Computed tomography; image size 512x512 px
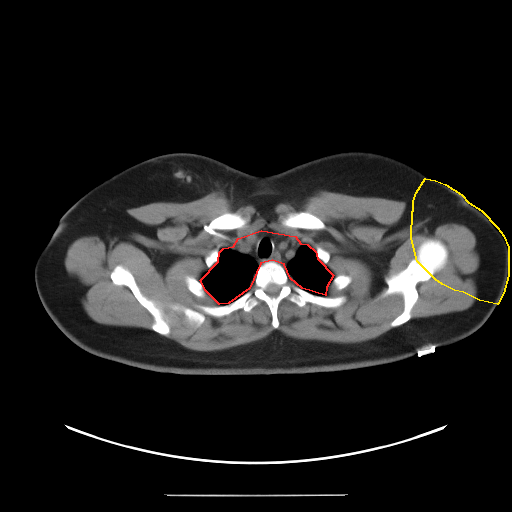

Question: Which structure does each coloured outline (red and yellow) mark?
Answer: red: thoracic cavity; yellow: left arm.
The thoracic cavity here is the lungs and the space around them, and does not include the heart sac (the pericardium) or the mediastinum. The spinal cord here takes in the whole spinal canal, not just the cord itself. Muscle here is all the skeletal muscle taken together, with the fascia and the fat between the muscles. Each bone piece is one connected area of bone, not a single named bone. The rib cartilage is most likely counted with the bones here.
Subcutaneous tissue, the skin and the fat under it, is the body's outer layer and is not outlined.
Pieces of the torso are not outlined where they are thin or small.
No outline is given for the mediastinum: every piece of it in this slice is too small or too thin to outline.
{"thoracic_cavity":[[[261,230],[295,236],[300,243],[307,244],[315,251],[317,258],[333,275],[326,287],[325,295],[302,288],[290,278],[284,264],[272,260],[260,263],[249,288],[228,303],[219,304],[206,291],[200,280],[218,261],[219,252],[223,248],[233,246],[238,238]]],"left_arm":[[[425,178],[435,180],[445,184],[461,194],[468,202],[481,210],[497,227],[503,235],[508,247],[508,275],[503,293],[497,304],[479,300],[463,292],[454,290],[442,284],[435,279],[417,261],[411,238],[412,211],[413,210],[413,201],[416,192]]],"muscle":[{"outer":[[218,190],[234,203],[252,204],[263,213],[281,202],[300,204],[325,190],[404,201],[396,229],[426,219],[430,231],[448,222],[465,225],[475,235],[480,258],[471,275],[476,299],[461,311],[411,319],[419,297],[417,284],[428,281],[448,261],[446,245],[428,237],[404,268],[384,278],[387,287],[380,296],[400,294],[402,310],[389,323],[392,328],[365,341],[304,340],[275,330],[247,344],[192,350],[164,336],[171,331],[164,310],[142,293],[132,272],[120,263],[109,277],[114,285],[127,287],[152,316],[152,330],[98,323],[85,312],[84,291],[65,268],[69,245],[89,235],[106,244],[114,238],[121,241],[134,234],[149,235],[150,227],[127,209],[160,201],[188,202]],"holes":[[[261,230],[295,236],[315,251],[317,246],[326,250],[331,273],[351,278],[340,290],[330,283],[326,287],[326,296],[346,297],[341,305],[307,302],[300,307],[286,297],[278,305],[277,328],[262,300],[247,312],[240,308],[220,317],[206,314],[199,326],[171,308],[175,303],[195,310],[197,305],[218,305],[208,293],[205,297],[192,293],[186,276],[199,281],[208,270],[205,257],[212,250],[217,247],[219,252],[238,238]],[[300,211],[305,211],[306,212],[309,212],[313,214],[315,216],[318,217],[323,222],[325,226],[324,228],[322,229],[305,229],[304,228],[295,228],[294,227],[288,227],[287,226],[283,225],[281,223],[281,217],[282,216],[284,216],[290,212],[299,212]],[[226,212],[234,212],[235,213],[238,213],[243,216],[248,216],[249,217],[249,221],[245,226],[240,228],[235,228],[234,229],[222,229],[221,230],[218,230],[217,229],[216,230],[217,233],[211,233],[204,229],[204,226],[205,225],[208,225],[213,219]]]}],"torso":[[[353,150],[390,156],[431,178],[423,179],[412,201],[410,238],[416,261],[442,285],[497,305],[477,330],[459,341],[402,360],[339,371],[166,373],[85,351],[57,327],[40,301],[35,264],[59,219],[118,171],[160,154],[192,152],[250,174],[269,175]]],"bones":[{"outer":[[268,261],[284,266],[289,278],[312,294],[345,296],[337,307],[310,302],[300,307],[286,297],[278,305],[277,328],[262,300],[247,312],[240,308],[220,317],[206,314],[199,326],[171,308],[175,303],[195,310],[197,305],[228,304],[250,288],[259,265]],"hole":[[271,283],[273,283],[274,284],[276,284],[277,285],[278,285],[280,287],[280,289],[279,290],[279,292],[278,293],[278,294],[275,296],[271,296],[270,295],[269,295],[268,294],[267,294],[265,291],[265,289],[266,288],[266,287],[269,284],[270,284]]},[[428,238],[440,240],[445,245],[448,253],[446,264],[428,280],[420,281],[416,284],[418,297],[411,309],[410,319],[401,325],[392,327],[390,323],[403,310],[404,302],[403,296],[400,293],[381,296],[388,287],[385,278],[404,269],[416,256],[418,247]],[[119,264],[127,268],[131,272],[141,293],[147,298],[155,301],[163,310],[165,314],[165,319],[170,327],[170,331],[167,335],[162,335],[154,331],[151,328],[154,321],[153,316],[140,304],[127,286],[116,285],[113,283],[110,277],[110,274],[113,269]],[[300,211],[305,211],[306,212],[309,212],[313,214],[315,216],[318,217],[323,222],[325,226],[324,228],[322,229],[305,229],[304,228],[295,228],[294,227],[288,227],[287,226],[283,225],[281,223],[281,217],[282,216],[284,216],[290,212],[299,212]],[[226,212],[234,212],[235,213],[238,213],[243,216],[248,216],[249,217],[249,221],[245,226],[240,228],[235,228],[234,229],[222,229],[221,230],[218,230],[217,229],[216,230],[217,233],[211,233],[204,229],[204,226],[205,225],[208,225],[213,219]],[[188,275],[190,276],[192,276],[194,277],[197,280],[200,281],[205,291],[207,293],[207,295],[205,297],[198,297],[196,296],[193,293],[192,293],[188,289],[187,287],[187,285],[186,284],[186,282],[185,281],[185,278],[186,276]],[[340,274],[344,274],[345,275],[348,275],[351,278],[351,281],[344,288],[343,288],[342,289],[339,290],[338,289],[336,289],[335,288],[332,287],[331,286],[331,282],[332,281],[332,280],[333,279],[334,276],[335,276],[336,275],[339,275]],[[217,247],[218,248],[218,259],[217,260],[217,261],[215,263],[214,263],[213,264],[213,265],[210,268],[207,268],[207,266],[206,265],[206,263],[205,262],[205,257],[212,250],[213,250],[215,248],[216,248]],[[317,246],[319,246],[321,247],[323,249],[326,250],[329,253],[330,256],[329,257],[329,260],[328,261],[328,263],[327,265],[323,263],[323,262],[318,258],[317,256],[317,254],[316,253],[316,248]]],"spinal_cord":[[[271,283],[273,283],[274,284],[276,284],[277,285],[278,285],[280,287],[280,289],[279,290],[279,292],[278,293],[278,294],[275,296],[271,296],[270,295],[269,295],[268,294],[267,294],[265,291],[265,289],[266,288],[266,287],[269,284],[270,284]]]}